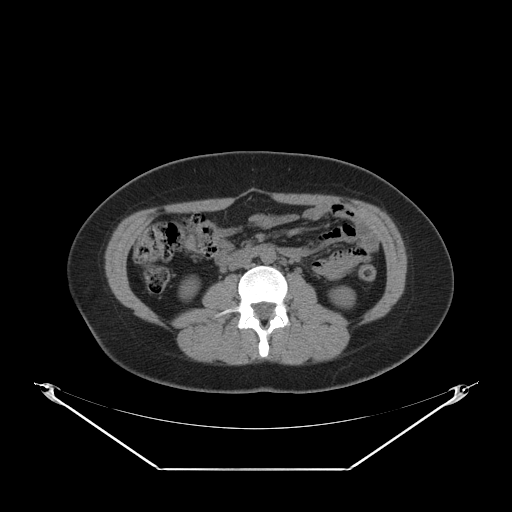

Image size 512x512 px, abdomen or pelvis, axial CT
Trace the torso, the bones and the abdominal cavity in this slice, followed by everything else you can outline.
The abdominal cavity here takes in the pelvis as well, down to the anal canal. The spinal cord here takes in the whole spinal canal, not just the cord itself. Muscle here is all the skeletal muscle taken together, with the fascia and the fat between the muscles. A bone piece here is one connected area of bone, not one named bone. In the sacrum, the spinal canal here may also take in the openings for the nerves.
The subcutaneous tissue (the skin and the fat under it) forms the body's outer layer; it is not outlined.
Outlined structures:
torso: 230,150 287,151 337,158 372,171 412,200 438,230 448,250 454,273 450,307 429,341 410,358 374,378 347,387 311,393 184,390 137,377 111,363 99,349 68,290 66,261 76,232 107,196 140,173 182,157
bones: 257,265 274,267 283,274 287,282 284,303 289,325 274,328 269,334 269,350 266,357 261,357 259,354 259,337 255,330 249,327 239,328 237,326 238,312 216,316 219,312 235,307 239,303 239,279 247,270; inner edge: 260,302 267,302 268,303 272,303 274,304 274,307 273,308 273,312 272,313 272,315 271,317 270,317 268,319 266,323 264,323 256,316 255,314 255,312 254,311 254,309 252,306 253,304 256,304
abdominal cavity: 251,192 284,204 341,205 356,215 382,244 381,297 359,319 349,320 319,303 315,288 299,273 285,276 272,265 257,264 239,278 230,273 212,283 201,307 170,319 156,313 128,278 135,238 163,213 218,211
spinal cord: 260,302 267,302 268,303 272,303 274,304 274,307 273,308 273,312 272,313 272,315 271,317 270,317 268,319 266,323 264,323 256,316 255,314 255,312 254,311 254,309 252,306 253,304 256,304
muscle: 251,187 271,192 331,194 362,200 385,210 398,228 404,241 407,253 407,273 404,291 386,315 358,327 351,333 349,342 343,354 339,357 325,362 297,366 284,365 269,361 245,365 223,366 193,361 189,359 180,350 177,345 175,336 171,332 161,326 145,321 134,315 113,294 105,275 104,253 112,232 123,218 138,210 159,205 208,198 232,197 with a hole at 251,192 356,215 382,244 381,297 349,320 288,272 289,325 269,334 266,357 255,330 237,326 238,312 216,316 239,303 237,274 212,283 201,307 170,319 156,313 128,278 135,238 163,213 218,211